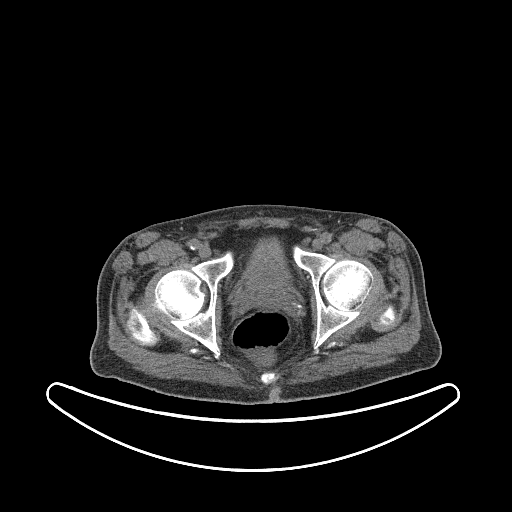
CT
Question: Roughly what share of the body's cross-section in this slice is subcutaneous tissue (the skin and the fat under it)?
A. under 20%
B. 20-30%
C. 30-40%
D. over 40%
Answer: B. 20-30%
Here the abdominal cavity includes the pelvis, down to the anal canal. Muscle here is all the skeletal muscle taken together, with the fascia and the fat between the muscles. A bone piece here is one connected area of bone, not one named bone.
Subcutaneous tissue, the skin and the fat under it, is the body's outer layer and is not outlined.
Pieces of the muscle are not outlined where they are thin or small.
The abdominal cavity is outlined by 260 226; 292 227; 305 234; 292 245; 291 253; 309 286; 312 324; 310 344; 306 349; 291 355; 281 367; 268 371; 244 365; 224 351; 222 289; 224 277; 233 268; 235 260; 232 250; 222 250; 214 243; 222 233; 237 233; 241 229. The bones appear in 5 outlined pieces: piece 1: 229 250; 233 253; 233 266; 217 285; 215 302; 215 334; 220 355; 219 358; 216 359; 209 349; 196 339; 178 329; 171 323; 170 319; 164 313; 155 308; 152 303; 154 300; 156 283; 164 274; 175 269; 189 269; 200 262; 221 257; piece 2: 293 245; 297 245; 306 251; 322 253; 336 260; 345 258; 358 261; 369 268; 373 275; 371 289; 360 309; 360 313; 349 323; 332 333; 319 347; 319 352; 317 353; 313 348; 317 329; 315 293; 311 276; 307 271; 300 268; 293 258; piece 3: 133 307; 135 307; 142 312; 143 312; 143 313; 146 317; 147 322; 150 328; 156 334; 156 335; 158 337; 158 340; 154 345; 142 345; 137 340; 134 339; 131 336; 130 332; 127 329; 127 326; 126 325; 126 321; 129 316; 129 312; piece 4: 389 304; 393 304; 395 307; 395 309; 396 310; 396 313; 395 314; 395 319; 394 320; 394 321; 391 324; 390 324; 389 325; 380 325; 377 323; 377 322; 379 319; 379 317; 381 315; 381 314; 384 311; 384 310; 386 308; 386 307; piece 5: 270 371; 271 371; 272 372; 273 372; 276 375; 277 375; 277 379; 275 381; 274 381; 271 383; 269 383; 268 384; 265 384; 264 383; 263 383; 262 382; 261 382; 260 381; 260 375; 262 373; 263 373; 264 372; 269 372. The torso is outlined by 244 204; 283 204; 361 212; 395 224; 412 241; 422 262; 427 302; 441 342; 441 357; 438 362; 431 368; 347 393; 254 405; 185 399; 115 378; 96 375; 91 369; 89 358; 97 324; 96 286; 100 270; 114 247; 130 233; 151 224. The muscle is outlined by 255 216; 315 219; 331 229; 352 224; 359 219; 369 218; 387 230; 398 234; 406 245; 415 282; 421 321; 420 337; 417 343; 391 363; 310 382; 283 384; 280 391; 270 387; 247 390; 237 386; 158 378; 134 369; 130 363; 117 356; 108 347; 107 341; 110 291; 114 275; 112 264; 118 254; 123 249; 128 250; 136 237; 144 232; 155 231; 178 238; 191 231; 202 221; 244 219, around holes outlined by 260 226; 295 228; 305 234; 303 250; 358 261; 373 275; 360 313; 316 353; 315 293; 303 271; 310 344; 273 369; 277 379; 268 384; 262 369; 224 351; 223 277; 218 359; 152 305; 164 274; 221 257; 227 251; 214 241; 222 233 and by 133 307; 135 307; 142 312; 143 312; 143 313; 146 317; 147 322; 150 328; 156 334; 156 335; 158 337; 158 340; 154 345; 142 345; 137 340; 134 339; 131 336; 130 332; 127 329; 127 326; 126 325; 126 321; 129 316; 129 312 and by 389 304; 393 304; 395 307; 395 309; 396 310; 396 313; 395 314; 395 319; 394 320; 394 321; 391 324; 390 324; 389 325; 380 325; 377 323; 377 322; 379 319; 379 317; 381 315; 381 314; 384 311; 384 310; 386 308; 386 307.